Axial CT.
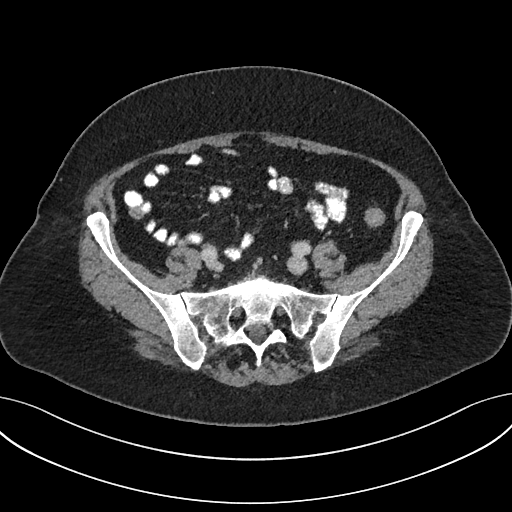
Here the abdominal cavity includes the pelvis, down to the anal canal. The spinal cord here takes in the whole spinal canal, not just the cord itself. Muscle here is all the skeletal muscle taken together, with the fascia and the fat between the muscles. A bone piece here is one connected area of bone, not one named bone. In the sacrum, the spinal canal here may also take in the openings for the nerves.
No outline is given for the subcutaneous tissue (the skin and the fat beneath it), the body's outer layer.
{"spinal_cord":[[[276,306],[281,306],[282,307],[283,307],[285,309],[285,312],[286,313],[286,315],[288,318],[288,325],[287,326],[287,327],[286,327],[285,328],[283,328],[282,327],[281,327],[278,324],[275,323],[273,320],[273,314],[275,311],[275,307]],[[264,326],[269,331],[269,332],[267,334],[267,336],[265,338],[265,339],[261,343],[260,343],[259,344],[257,344],[256,343],[255,343],[249,337],[249,336],[248,335],[248,331],[252,327],[254,327],[256,329],[260,329],[261,328],[262,328]],[[235,308],[241,308],[244,313],[244,316],[243,317],[243,318],[240,321],[240,324],[239,325],[239,326],[238,326],[237,327],[235,327],[234,326],[233,326],[233,325],[231,323],[231,322],[230,321],[230,315],[231,314],[231,313],[234,310],[234,309]]],"bones":[{"outer":[[97,210],[108,217],[110,240],[122,264],[149,288],[172,294],[206,292],[248,277],[266,277],[312,293],[348,295],[368,286],[390,263],[399,245],[405,211],[419,212],[423,222],[404,258],[355,307],[327,368],[315,372],[310,356],[309,342],[324,318],[317,314],[301,339],[288,332],[287,342],[270,344],[259,366],[246,344],[215,344],[194,317],[206,346],[204,360],[194,370],[175,351],[158,309],[95,240],[86,218]],"holes":[[[276,306],[281,306],[282,307],[283,307],[285,309],[285,312],[286,313],[286,315],[288,318],[288,325],[287,326],[287,327],[286,327],[285,328],[283,328],[282,327],[281,327],[278,324],[275,323],[273,320],[273,314],[275,311],[275,307]],[[264,326],[269,331],[269,332],[267,334],[267,336],[265,338],[265,339],[261,343],[260,343],[259,344],[257,344],[256,343],[255,343],[249,337],[249,336],[248,335],[248,331],[252,327],[254,327],[256,329],[260,329],[261,328],[262,328]],[[235,308],[241,308],[244,313],[244,316],[243,317],[243,318],[240,321],[240,324],[239,325],[239,326],[238,326],[237,327],[235,327],[234,326],[233,326],[233,325],[231,323],[231,322],[230,321],[230,315],[231,314],[231,313],[234,310],[234,309]]]}],"torso":[[[242,65],[296,68],[343,80],[385,100],[421,130],[496,247],[511,282],[511,327],[494,356],[417,392],[354,413],[294,425],[222,426],[166,418],[106,401],[24,367],[6,353],[0,343],[0,274],[79,134],[105,108],[140,87],[189,72]]],"abdominal_cavity":[[[241,135],[302,152],[353,156],[387,172],[401,191],[388,249],[344,272],[345,254],[331,239],[318,243],[311,260],[323,293],[266,276],[188,290],[202,262],[200,252],[185,244],[170,250],[162,276],[131,259],[115,232],[116,179],[149,158],[226,146]]],"muscle":[{"outer":[[240,130],[271,131],[297,136],[359,152],[387,163],[406,175],[419,187],[427,204],[433,237],[433,271],[425,290],[391,323],[379,346],[358,358],[332,369],[319,373],[312,373],[298,380],[281,385],[266,385],[254,382],[243,387],[235,387],[221,383],[200,372],[186,372],[142,358],[130,346],[123,329],[82,286],[78,271],[78,239],[82,220],[81,211],[83,199],[88,188],[94,181],[108,171],[149,152],[193,138]],"hole":[[241,135],[353,156],[399,186],[379,259],[344,272],[347,258],[331,239],[313,249],[329,293],[368,286],[397,251],[404,212],[423,217],[322,371],[309,346],[321,314],[301,339],[288,332],[287,342],[270,344],[259,366],[246,344],[215,344],[194,317],[206,353],[192,369],[158,309],[86,224],[103,210],[113,249],[137,279],[162,293],[189,290],[200,252],[173,247],[162,276],[131,259],[116,237],[112,188],[149,158]]}]}